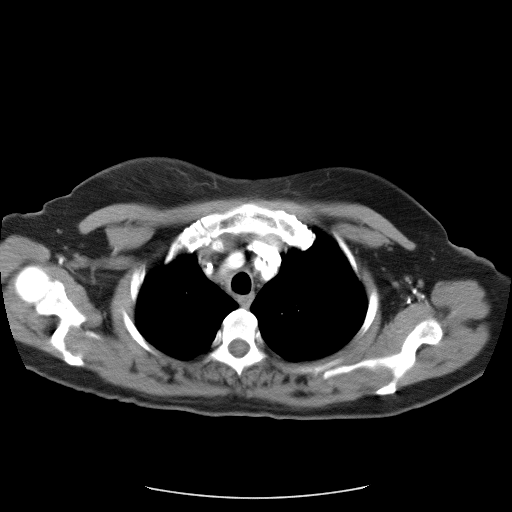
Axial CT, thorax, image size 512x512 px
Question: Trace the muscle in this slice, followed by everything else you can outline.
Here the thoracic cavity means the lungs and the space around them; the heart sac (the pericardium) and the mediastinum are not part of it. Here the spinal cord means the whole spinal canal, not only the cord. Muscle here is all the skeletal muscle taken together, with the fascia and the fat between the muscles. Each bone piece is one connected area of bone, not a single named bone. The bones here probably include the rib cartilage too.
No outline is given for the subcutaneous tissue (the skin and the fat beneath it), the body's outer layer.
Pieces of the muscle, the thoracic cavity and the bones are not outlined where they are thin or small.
Answer: Outlines (x, y in pixels):
muscle: (284, 189) (365, 205) (416, 244) (408, 250) (396, 243) (379, 255) (388, 304) (428, 294) (439, 280) (470, 278) (484, 288) (491, 306) (483, 320) (490, 337) (460, 368) (397, 390) (419, 347) (437, 345) (443, 337) (441, 324) (430, 316) (413, 327) (397, 352) (351, 364) (338, 356) (293, 368) (300, 374) (321, 373) (324, 380) (362, 367) (388, 369) (390, 380) (355, 400) (296, 408) (235, 394) (145, 394) (80, 367) (82, 354) (71, 351) (65, 338) (88, 318) (64, 284) (39, 264) (23, 266) (13, 288) (39, 315) (58, 318) (49, 342) (61, 359) (14, 338) (0, 274) (0, 242) (9, 235) (28, 237) (68, 259) (76, 253) (95, 259) (110, 252) (105, 236) (97, 230) (81, 234) (77, 224) (107, 205) (175, 205), around holes outlined by (249, 201) (294, 214) (310, 228) (317, 228) (332, 238) (334, 230) (338, 233) (355, 258) (358, 266) (355, 275) (366, 296) (373, 286) (378, 292) (378, 308) (368, 329) (317, 359) (292, 361) (266, 348) (268, 356) (244, 368) (240, 375) (223, 362) (205, 361) (207, 351) (180, 359) (159, 349) (154, 354) (143, 348) (127, 330) (120, 311) (123, 308) (135, 321) (136, 306) (129, 301) (134, 268) (142, 264) (147, 272) (161, 262) (176, 236) (201, 217) and by (85, 331) (92, 331) (93, 332) (94, 332) (96, 334) (97, 334) (98, 335) (99, 335) (99, 336) (100, 337) (99, 338) (95, 338) (94, 337) (92, 337) (91, 336) (89, 336) (88, 335) (86, 335) (85, 334)
mediastinum: (224, 233) (232, 235) (251, 233) (260, 236) (275, 237) (282, 244) (291, 247) (286, 253) (281, 254) (281, 263) (277, 274) (262, 286) (249, 309) (239, 307) (236, 301) (208, 279) (201, 269) (195, 254) (198, 249) (206, 247) (217, 252) (223, 251) (224, 245) (220, 237)
spinal cord: (236, 339) (240, 339) (241, 340) (243, 340) (245, 342) (246, 342) (248, 345) (248, 350) (243, 355) (242, 355) (241, 356) (235, 356) (233, 354) (232, 354) (230, 352) (230, 351) (228, 348) (228, 346) (229, 345) (229, 344) (232, 341) (233, 341)
right arm: (42, 205) (69, 236) (69, 238) (57, 282) (30, 310) (12, 333) (12, 330) (10, 327) (10, 322) (8, 319) (6, 311) (0, 274) (0, 237) (2, 229) (2, 221) (3, 217) (8, 213) (16, 211) (23, 213) (37, 211) (42, 207)
bones 1: (249, 201) (270, 209) (282, 209) (294, 214) (306, 224) (316, 236) (306, 250) (282, 243) (275, 236) (251, 232) (238, 234) (224, 232) (219, 237) (223, 250) (217, 251) (206, 246) (192, 253) (182, 252) (167, 264) (164, 263) (171, 243) (185, 227) (203, 216) (223, 212)
bones 2: (27, 265) (39, 265) (52, 279) (59, 280) (67, 297) (86, 316) (87, 319) (79, 327) (71, 326) (64, 338) (66, 347) (71, 352) (81, 354) (83, 366) (66, 363) (62, 354) (50, 342) (59, 318) (54, 314) (39, 314) (32, 304) (26, 303) (15, 292) (14, 277)
bones 3: (430, 317) (440, 324) (442, 337) (437, 344) (423, 343) (418, 347) (413, 364) (397, 381) (393, 393) (375, 394) (393, 377) (385, 367) (372, 369) (362, 366) (326, 379) (321, 372) (300, 373) (294, 369) (338, 357) (343, 358) (341, 364) (351, 365) (397, 353) (414, 327)
bones 4: (240, 307) (249, 310) (256, 317) (257, 325) (260, 334) (267, 347) (265, 349) (268, 356) (265, 359) (244, 368) (241, 374) (238, 375) (236, 371) (227, 364) (217, 360) (205, 361) (205, 357) (211, 349) (211, 344) (217, 331) (220, 328) (224, 318) (230, 312); inner edge: (236, 339) (240, 339) (241, 340) (243, 340) (245, 342) (246, 342) (248, 345) (248, 350) (243, 355) (242, 355) (241, 356) (235, 356) (233, 354) (232, 354) (230, 352) (230, 351) (228, 348) (228, 346) (229, 345) (229, 344) (232, 341) (233, 341)
bones 5: (373, 286) (374, 286) (377, 289) (377, 291) (378, 292) (378, 297) (379, 298) (377, 311) (375, 314) (374, 319) (372, 321) (368, 329) (362, 335) (358, 336) (357, 337) (354, 337) (364, 321) (365, 315) (367, 311) (367, 307) (368, 306) (368, 296) (370, 292) (372, 290)
bones 6: (121, 308) (123, 308) (126, 311) (127, 314) (134, 322) (134, 324) (136, 328) (142, 335) (142, 336) (158, 351) (158, 353) (157, 354) (151, 353) (144, 348) (143, 348) (131, 336) (131, 335) (127, 330) (124, 324) (124, 322) (122, 318) (122, 314) (120, 311)
bones 7: (141, 264) (142, 264) (144, 266) (146, 270) (146, 274) (144, 277) (143, 282) (140, 286) (140, 288) (137, 295) (137, 298) (136, 299) (135, 305) (132, 305) (129, 301) (129, 289) (130, 288) (130, 280) (131, 279) (131, 276) (132, 275) (134, 268) (139, 266)
bones 8: (334, 230) (336, 231) (338, 233) (338, 234) (345, 241) (348, 247) (352, 252) (355, 258) (355, 260) (357, 263) (357, 265) (358, 266) (358, 272) (357, 274) (354, 272) (346, 256) (344, 254) (344, 253) (338, 245) (336, 240) (334, 238) (334, 236) (333, 235) (333, 231)
thoracic cavity 1: (311, 228) (317, 228) (335, 240) (363, 287) (367, 297) (367, 306) (361, 325) (353, 337) (339, 349) (317, 359) (292, 361) (268, 348) (261, 334) (258, 319) (250, 307) (263, 286) (278, 274) (282, 263) (282, 254) (286, 254) (292, 247) (306, 251) (314, 243) (317, 236)
thoracic cavity 2: (182, 253) (194, 253) (197, 263) (207, 279) (215, 284) (238, 305) (237, 308) (230, 311) (221, 321) (220, 326) (210, 344) (210, 349) (189, 359) (180, 359) (158, 349) (143, 336) (135, 324) (135, 307) (141, 286) (144, 282) (147, 272) (162, 261) (165, 265) (167, 265)
torso: (154, 154) (176, 156) (232, 176) (352, 165) (389, 178) (442, 224) (451, 242) (488, 258) (510, 277) (503, 320) (483, 373) (451, 394) (399, 415) (297, 420) (214, 417) (141, 407) (78, 391) (27, 369) (13, 332) (58, 282) (70, 238) (43, 204) (67, 194) (105, 167)